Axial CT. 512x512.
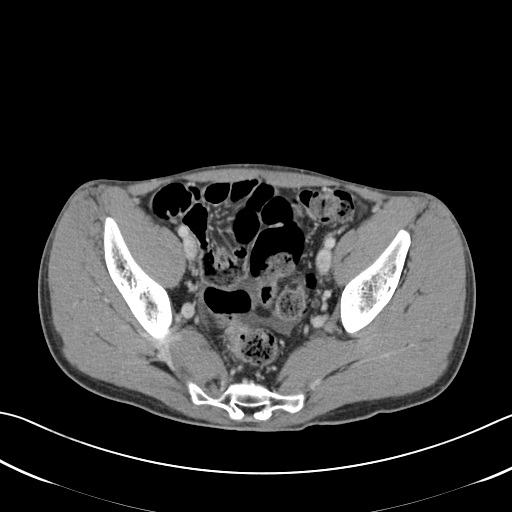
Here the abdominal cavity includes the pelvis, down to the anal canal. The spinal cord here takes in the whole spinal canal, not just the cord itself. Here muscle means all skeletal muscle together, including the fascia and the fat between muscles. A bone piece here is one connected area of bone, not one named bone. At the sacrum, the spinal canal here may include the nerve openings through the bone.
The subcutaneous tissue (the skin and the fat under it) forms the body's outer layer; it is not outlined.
The bones appear in 3 outlined pieces: piece 1: (106, 216) (113, 218) (117, 223) (123, 239) (136, 262) (147, 274) (167, 291) (172, 313) (172, 323) (170, 327) (168, 350) (172, 359) (173, 368) (171, 368) (167, 364) (160, 350) (154, 344) (150, 335) (136, 319) (108, 272) (104, 259) (103, 249) (103, 230) (104, 219); piece 2: (400, 229) (405, 229) (409, 232) (410, 235) (410, 245) (408, 248) (408, 251) (399, 278) (398, 284) (391, 298) (384, 307) (377, 314) (377, 315) (367, 325) (355, 332) (352, 333) (347, 332) (344, 329) (340, 320) (340, 297) (343, 288) (354, 276) (366, 268) (378, 257); piece 3: (189, 380) (213, 398) (219, 397) (231, 383) (243, 380) (264, 385) (283, 395) (302, 392) (305, 398) (298, 411) (291, 413) (275, 409) (266, 420) (253, 416) (253, 412) (261, 409) (261, 406) (240, 406) (244, 415) (240, 420) (235, 420) (221, 407) (193, 403) (186, 385). The spinal cord is outlined by (240, 407) (245, 407) (246, 408) (255, 408) (256, 407) (261, 407) (261, 408) (260, 408) (259, 409) (256, 409) (255, 410) (254, 410) (253, 411) (252, 411) (251, 410) (250, 410) (249, 409) (246, 409) (245, 410) (244, 410) (242, 408) (241, 408). The muscle is outlined by (230, 168) (266, 169) (273, 171) (294, 172) (300, 174) (317, 176) (342, 183) (351, 184) (358, 187) (366, 188) (389, 195) (395, 196) (411, 196) (412, 195) (427, 196) (437, 200) (444, 206) (450, 214) (461, 238) (465, 257) (465, 268) (466, 269) (465, 290) (466, 294) (464, 305) (464, 318) (458, 334) (455, 338) (453, 348) (449, 354) (449, 363) (443, 374) (433, 384) (420, 390) (404, 395) (400, 395) (395, 397) (391, 396) (372, 400) (364, 400) (345, 404) (334, 408) (321, 415) (318, 415) (311, 419) (291, 425) (285, 425) (279, 427) (270, 427) (254, 422) (239, 422) (238, 423) (227, 423) (225, 424) (188, 416) (181, 412) (171, 409) (161, 401) (151, 396) (146, 395) (138, 391) (128, 389) (91, 377) (77, 369) (66, 359) (61, 350) (63, 343) (62, 340) (52, 323) (50, 297) (47, 279) (48, 278) (48, 262) (54, 234) (56, 231) (57, 225) (73, 196) (78, 191) (83, 189) (86, 186) (91, 185) (95, 186) (97, 184) (109, 184) (118, 186) (126, 186) (131, 184) (169, 178) (178, 175) (189, 174) (200, 171) (215, 170) (216, 169) (229, 169); inner edge: (257, 176) (283, 188) (341, 186) (381, 206) (334, 247) (333, 279) (342, 290) (400, 229) (410, 245) (391, 298) (367, 325) (347, 332) (339, 299) (325, 331) (283, 362) (271, 390) (302, 392) (302, 408) (275, 409) (266, 420) (246, 409) (235, 420) (192, 402) (189, 380) (213, 398) (229, 386) (222, 359) (173, 310) (167, 364) (108, 272) (103, 230) (105, 217) (113, 218) (136, 262) (171, 290) (186, 267) (182, 243) (152, 221) (138, 196) (175, 180). The torso is outlined by (225, 162) (285, 164) (379, 188) (425, 191) (448, 206) (471, 252) (476, 305) (464, 359) (440, 394) (419, 406) (349, 424) (312, 425) (299, 432) (224, 431) (185, 424) (102, 397) (74, 382) (59, 368) (40, 324) (37, 277) (45, 241) (70, 194) (91, 179) (144, 179). The abdominal cavity is outlined by (257, 176) (283, 188) (341, 186) (381, 206) (337, 241) (332, 268) (341, 291) (325, 331) (311, 335) (287, 356) (271, 389) (247, 379) (230, 383) (218, 353) (197, 331) (178, 321) (168, 290) (178, 284) (186, 267) (182, 243) (138, 205) (138, 196) (175, 180) (206, 182).